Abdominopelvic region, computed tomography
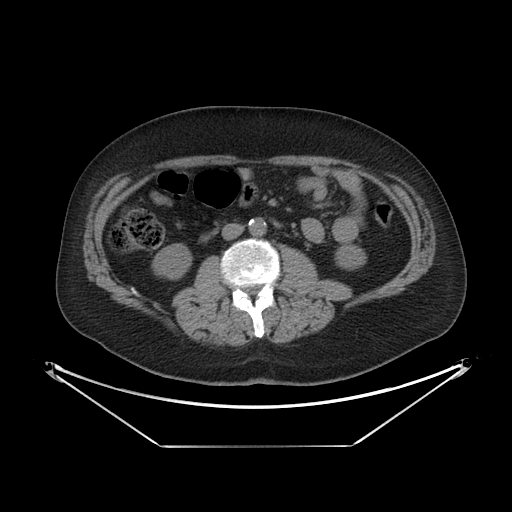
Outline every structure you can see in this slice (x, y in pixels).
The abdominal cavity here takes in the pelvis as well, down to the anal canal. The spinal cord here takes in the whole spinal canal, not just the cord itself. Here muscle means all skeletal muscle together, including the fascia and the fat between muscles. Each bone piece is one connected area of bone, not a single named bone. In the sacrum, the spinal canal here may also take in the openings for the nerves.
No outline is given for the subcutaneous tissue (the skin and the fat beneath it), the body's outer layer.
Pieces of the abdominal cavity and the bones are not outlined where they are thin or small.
Outlines (x, y in pixels):
torso: 205,105 296,106 327,110 371,125 407,147 437,182 454,218 464,251 466,296 452,327 437,339 374,370 314,386 208,386 164,378 119,358 72,328 56,301 55,269 67,203 79,175 104,146 132,127 169,112
spinal cord: 257,284 258,285 261,285 261,287 260,288 260,289 257,292 257,293 256,294 256,297 255,297 254,298 252,298 251,297 250,297 249,296 249,295 243,290 243,288 244,288 247,286 252,286 253,285 256,285
abdominal cavity: 239,163 335,166 370,180 394,201 409,228 404,267 385,283 354,294 341,281 320,279 315,263 299,249 248,237 221,255 203,259 193,284 165,305 123,283 112,272 102,242 114,209 165,169
muscle: 213,154 243,159 278,155 330,156 399,176 422,198 431,217 435,232 432,265 417,282 399,294 352,306 310,342 273,343 261,338 265,333 262,312 276,304 274,290 281,275 277,244 285,244 305,254 314,263 320,280 341,282 358,295 385,284 408,262 411,234 402,211 376,183 335,165 239,162 165,168 109,214 101,242 111,272 129,286 136,297 140,294 165,306 180,290 194,284 203,260 219,255 222,281 231,288 231,305 249,315 253,335 258,338 235,349 215,349 178,336 161,321 117,303 108,291 87,278 82,249 86,215 93,195 116,174 166,159
bones: 248,238 269,241 277,250 280,262 280,275 275,281 273,290 275,304 265,308 261,312 264,333 260,338 254,335 253,322 250,315 246,311 235,308 232,305 232,288 223,281 220,269 220,261 224,251 233,243 with a hole at 257,284 258,285 261,285 261,287 260,288 260,289 257,292 257,293 256,294 256,297 255,297 254,298 252,298 251,297 250,297 249,296 249,295 243,290 243,288 244,288 247,286 252,286 253,285 256,285